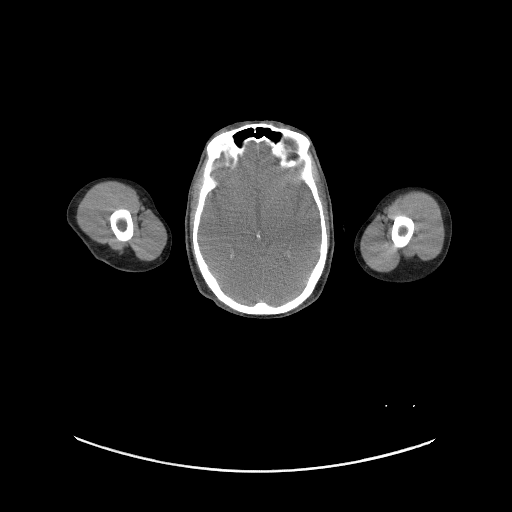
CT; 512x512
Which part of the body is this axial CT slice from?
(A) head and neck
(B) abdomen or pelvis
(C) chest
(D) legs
(A) head and neck
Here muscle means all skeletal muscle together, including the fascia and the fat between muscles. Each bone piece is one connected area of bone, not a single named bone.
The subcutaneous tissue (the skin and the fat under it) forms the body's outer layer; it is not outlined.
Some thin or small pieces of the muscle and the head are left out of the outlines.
The right arm is outlined by [[102,176],[120,176],[129,178],[142,185],[151,195],[156,208],[168,224],[172,234],[172,245],[169,256],[166,261],[161,265],[153,269],[143,272],[129,272],[115,269],[96,259],[68,225],[66,221],[66,209],[73,195],[83,185],[89,181]]. The muscle appears in 4 outlined pieces: piece 1: [[410,190],[423,191],[432,196],[438,203],[442,214],[445,233],[442,249],[440,253],[433,259],[418,263],[406,263],[403,265],[400,265],[389,272],[376,271],[366,264],[361,255],[360,241],[363,232],[376,215],[381,212],[383,208],[393,200],[397,195]], around a hole outlined by [[398,214],[403,214],[404,215],[406,215],[410,217],[414,222],[414,228],[413,229],[413,233],[408,243],[405,246],[403,247],[400,247],[399,248],[395,248],[393,246],[393,242],[391,238],[391,229],[392,228],[392,225],[393,224],[393,218],[394,216]]; piece 2: [[108,180],[119,181],[134,188],[163,224],[167,234],[167,240],[162,252],[157,258],[151,261],[136,261],[127,259],[123,256],[117,254],[115,251],[112,251],[91,239],[82,231],[77,224],[76,221],[77,207],[86,192],[95,184]] with a hole at [[118,208],[125,208],[127,209],[130,212],[131,214],[131,218],[132,219],[132,222],[133,223],[133,234],[132,236],[128,240],[126,241],[120,241],[118,240],[115,236],[111,228],[111,226],[110,225],[110,221],[109,220],[109,217],[111,213],[114,210]]; piece 3: [[310,147],[312,155],[316,163],[323,184],[324,192],[325,193],[325,198],[327,203],[328,220],[329,221],[329,246],[328,235],[326,231],[326,223],[324,217],[323,206],[322,205],[321,199],[319,196],[318,188],[313,174],[313,159],[309,151],[310,150]]; piece 4: [[204,159],[201,184],[198,191],[197,202],[195,207],[195,211],[193,215],[193,222],[192,223],[191,245],[192,246],[193,255],[192,253],[192,248],[191,247],[191,241],[189,235],[189,218],[190,217],[190,210],[191,209],[192,190],[195,179]]. The bones appear in 3 outlined pieces: piece 1: [[250,123],[267,123],[287,128],[305,135],[310,140],[308,151],[312,159],[312,174],[322,206],[327,235],[328,249],[326,261],[313,291],[295,308],[276,314],[244,313],[231,308],[219,300],[200,272],[192,245],[194,215],[202,184],[206,145],[219,133]], around holes outlined by [[251,142],[263,143],[269,148],[282,169],[301,164],[297,178],[308,187],[319,219],[318,256],[302,289],[292,298],[275,305],[263,300],[247,304],[226,293],[211,271],[198,239],[206,198],[219,183],[212,175],[216,160],[222,156],[222,165],[235,168]] and by [[258,128],[263,128],[264,129],[269,130],[271,132],[273,132],[274,133],[277,133],[278,134],[279,134],[279,138],[277,140],[274,140],[273,139],[272,139],[270,137],[267,136],[267,135],[265,133],[262,134],[260,136],[256,136],[256,135],[258,132]] and by [[248,129],[250,129],[251,130],[251,132],[252,133],[252,134],[251,135],[249,135],[248,136],[246,136],[245,137],[244,137],[240,141],[240,143],[238,143],[235,139],[235,136],[236,135],[236,134],[238,134],[241,132],[243,132],[245,130],[247,130]] and by [[285,140],[290,140],[291,141],[292,141],[293,142],[293,145],[294,146],[294,147],[293,148],[292,147],[291,147],[290,146],[289,146],[288,147],[287,147],[287,146],[286,145],[286,143],[285,142]]; piece 2: [[118,208],[125,208],[127,209],[130,212],[131,214],[131,218],[132,219],[132,222],[133,223],[133,234],[132,236],[128,240],[126,241],[120,241],[118,240],[115,236],[111,228],[111,226],[110,225],[110,221],[109,220],[109,217],[111,213],[114,210]]; piece 3: [[398,214],[403,214],[404,215],[406,215],[410,217],[414,222],[414,228],[413,229],[413,233],[408,243],[405,246],[403,247],[400,247],[399,248],[395,248],[393,246],[393,242],[391,238],[391,229],[392,228],[392,225],[393,224],[393,218],[394,216]]. The brain is outlined by [[251,142],[263,143],[269,148],[282,169],[301,164],[297,178],[308,187],[319,219],[318,256],[302,289],[292,298],[275,305],[263,300],[247,304],[226,293],[211,271],[198,239],[206,198],[219,183],[212,175],[216,160],[222,156],[222,165],[235,168]]. The head is outlined by [[253,119],[281,121],[293,125],[309,135],[324,172],[332,203],[335,244],[330,272],[323,290],[319,297],[305,309],[279,319],[243,318],[217,307],[210,299],[198,291],[190,271],[185,248],[184,216],[187,193],[206,140],[212,133],[225,125],[236,121]] with holes at [[258,128],[263,128],[264,129],[269,130],[271,132],[273,132],[274,133],[277,133],[278,134],[279,134],[279,138],[277,140],[274,140],[273,139],[272,139],[270,137],[267,136],[267,135],[265,133],[262,134],[260,136],[256,136],[256,135],[258,132]] and at [[248,129],[250,129],[251,130],[251,132],[252,133],[252,134],[251,135],[249,135],[248,136],[246,136],[245,137],[244,137],[240,141],[240,143],[238,143],[235,139],[235,136],[236,135],[236,134],[238,134],[241,132],[243,132],[245,130],[247,130]]. The left arm is outlined by [[406,185],[420,185],[427,187],[438,193],[443,198],[451,214],[452,220],[451,241],[444,261],[433,273],[428,276],[416,281],[406,283],[395,283],[383,281],[369,275],[361,268],[354,254],[353,249],[354,238],[360,226],[370,215],[380,199],[391,190]].